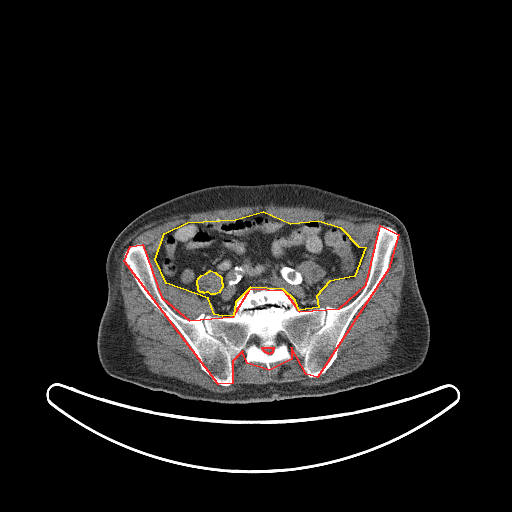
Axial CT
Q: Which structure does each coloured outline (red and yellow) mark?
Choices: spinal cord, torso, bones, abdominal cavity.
A: red: bones; yellow: abdominal cavity.
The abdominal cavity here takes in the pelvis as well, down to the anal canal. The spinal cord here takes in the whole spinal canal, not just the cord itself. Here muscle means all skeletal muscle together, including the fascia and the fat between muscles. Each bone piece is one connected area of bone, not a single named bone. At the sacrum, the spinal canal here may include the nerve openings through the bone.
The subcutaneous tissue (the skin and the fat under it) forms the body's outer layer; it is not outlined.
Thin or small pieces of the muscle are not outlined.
Outlines (x, y in pixels):
bones: 380,225 398,234 388,269 317,377 306,374 291,347 291,359 269,370 247,363 242,351 232,361 232,383 218,384 124,261 130,246 142,244 161,297 189,320 233,316 250,288 283,290 299,311 339,308 366,284 with a hole at 262,347 273,347 273,349 272,350 272,352 271,353 270,353 269,354 268,353 267,353 266,352 265,352 263,350 263,349 262,348
abdominal cavity: 263,211 290,223 318,220 340,227 358,246 365,247 354,276 329,281 316,296 318,307 299,310 295,300 283,289 250,287 235,302 233,315 222,316 214,314 208,298 166,283 155,259 164,233 187,222 235,219, around a hole outlined by 210,270 215,272 221,277 221,282 222,283 222,287 219,291 219,292 215,294 211,294 208,292 206,292 204,293 203,292 200,292 198,290 198,286 197,285 197,280 198,278 201,275 206,273
muscle 1: 257,205 303,206 338,215 377,217 392,223 397,231 386,224 377,227 365,284 350,302 335,307 318,306 318,294 329,282 352,279 366,253 366,247 358,245 340,226 318,219 290,222 263,210 235,218 218,217 207,221 180,223 161,235 154,259 167,285 193,293 200,299 206,298 212,305 213,314 201,312 191,319 176,313 162,297 144,245 139,242 130,245 123,253 123,261 135,283 144,296 182,335 194,352 201,370 218,385 228,387 233,383 233,361 242,352 247,364 261,363 269,371 271,364 292,359 291,348 294,355 302,357 302,368 309,378 323,375 337,358 341,341 353,317 384,279 399,235 403,246 405,274 395,323 398,333 389,347 390,356 385,361 318,385 304,385 299,381 240,384 234,390 226,392 212,391 175,377 154,373 147,368 143,356 136,350 119,286 119,262 116,258 120,256 118,251 123,242 139,228 172,216
muscle 2: 210,270 215,272 221,277 221,282 222,283 222,287 219,291 219,292 215,294 211,294 208,292 206,292 204,293 203,292 200,292 198,290 198,286 197,285 197,280 198,278 201,275 206,273
muscle 3: 305,261 312,261 316,263 318,265 319,265 324,270 324,276 323,278 320,281 316,283 314,283 313,284 309,284 308,285 306,283 306,281 304,278 304,275 302,273 302,270 300,268 300,266 301,264
torso: 279,182 302,183 326,189 379,207 401,220 409,235 417,283 430,324 430,342 423,363 412,372 345,391 251,403 184,399 106,373 98,359 96,341 108,294 106,258 117,235 143,212 190,191 222,184 254,185
spinal cord: 262,347 273,347 273,349 272,350 272,352 271,353 270,353 269,354 268,353 267,353 266,352 265,352 263,350 263,349 262,348